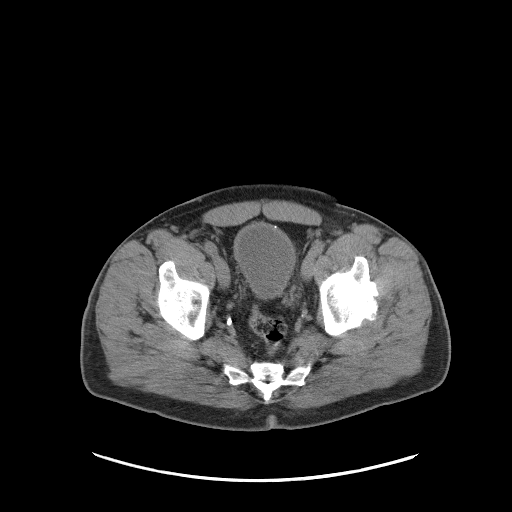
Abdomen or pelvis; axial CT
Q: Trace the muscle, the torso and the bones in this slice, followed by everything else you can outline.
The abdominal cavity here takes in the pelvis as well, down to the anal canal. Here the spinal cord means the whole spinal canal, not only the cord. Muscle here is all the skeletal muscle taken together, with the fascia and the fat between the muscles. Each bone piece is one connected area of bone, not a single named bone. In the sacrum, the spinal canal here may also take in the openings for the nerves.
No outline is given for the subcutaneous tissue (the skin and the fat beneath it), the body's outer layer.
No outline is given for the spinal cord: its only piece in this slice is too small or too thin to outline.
A: {"muscle":[[[262,198],[303,204],[343,227],[372,224],[413,249],[432,308],[421,370],[389,387],[318,407],[270,403],[282,386],[306,384],[312,362],[286,368],[282,360],[290,357],[294,338],[319,327],[319,304],[323,330],[337,337],[364,320],[374,321],[381,294],[362,254],[317,284],[316,262],[337,236],[322,224],[276,220],[260,212],[233,225],[208,223],[186,239],[213,268],[211,291],[206,283],[180,276],[174,260],[166,259],[157,268],[155,301],[159,316],[191,341],[205,335],[209,303],[211,331],[241,346],[251,361],[247,369],[224,362],[222,372],[232,386],[252,384],[263,403],[242,411],[114,384],[107,376],[95,306],[117,251],[149,230],[182,229],[216,206]]],"torso":[[[247,182],[290,183],[331,192],[340,202],[393,227],[422,253],[441,296],[451,337],[449,369],[439,386],[415,397],[330,423],[266,431],[233,431],[193,425],[94,396],[86,389],[79,366],[81,319],[93,282],[111,252],[130,233],[162,211],[207,191]]],"bones":[[[355,255],[362,255],[367,259],[370,279],[375,281],[378,287],[380,294],[375,297],[378,304],[377,316],[374,320],[364,319],[359,327],[349,329],[337,336],[332,336],[324,330],[323,317],[319,303],[318,284],[333,272],[343,272],[348,270],[353,263]],[[166,260],[173,260],[175,264],[176,271],[180,277],[189,280],[194,280],[206,284],[209,287],[210,294],[209,295],[209,302],[206,308],[204,335],[199,339],[196,340],[189,339],[173,328],[159,314],[159,308],[156,301],[157,292],[159,288],[158,268]],[[254,361],[281,362],[286,369],[305,365],[309,362],[311,362],[312,365],[304,379],[304,385],[282,385],[272,392],[269,403],[264,403],[262,393],[252,383],[246,382],[232,385],[229,383],[228,377],[223,372],[224,363],[235,365],[247,370],[250,364]]],"abdominal_cavity":[[[260,213],[276,221],[322,225],[336,236],[315,262],[318,327],[306,329],[294,337],[288,346],[289,357],[281,361],[252,361],[241,345],[212,331],[214,311],[210,295],[214,287],[214,268],[200,248],[187,239],[208,224],[233,226]]]}